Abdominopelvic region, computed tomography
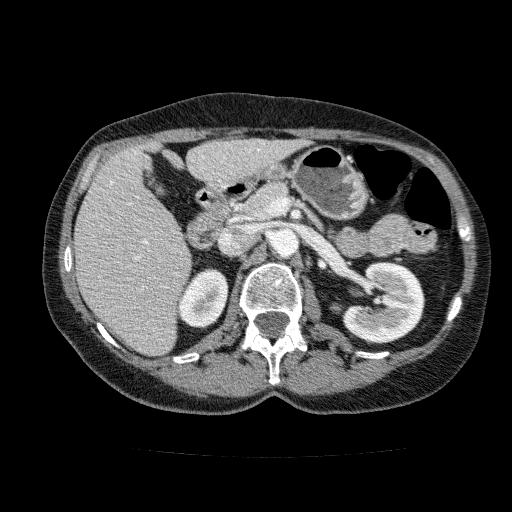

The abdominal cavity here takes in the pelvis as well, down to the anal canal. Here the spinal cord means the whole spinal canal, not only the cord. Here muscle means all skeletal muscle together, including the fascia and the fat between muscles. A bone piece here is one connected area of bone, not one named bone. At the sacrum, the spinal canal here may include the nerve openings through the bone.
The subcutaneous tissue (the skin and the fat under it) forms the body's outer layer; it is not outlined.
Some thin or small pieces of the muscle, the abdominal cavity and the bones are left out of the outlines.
spinal cord: 268,312 276,312 277,313 284,313 288,317 288,321 285,325 282,331 282,333 283,335 273,340 267,337 265,337 261,335 261,332 260,331 260,329 258,327 258,326 255,322 256,317 258,315 260,314 264,314
bones 1: 267,262 285,264 297,276 302,287 302,314 298,322 307,342 306,351 295,349 282,356 279,363 280,381 275,385 268,381 269,366 267,359 260,352 249,348 244,350 239,345 248,323 239,306 242,282 250,270 with a hole at 268,312 276,312 277,313 284,313 288,317 288,321 285,325 282,331 282,333 283,335 273,340 267,337 265,337 261,335 261,332 260,331 260,329 258,327 258,326 255,322 256,317 258,315 260,314 264,314
bones 2: 98,150 99,150 100,156 97,160 97,163 93,171 91,173 90,179 85,189 81,193 78,193 77,192 77,189 78,188 78,184 86,168 86,166 89,160 92,157 93,154 95,152 97,152
bones 3: 460,216 464,216 466,218 467,223 470,227 470,230 471,231 471,236 472,237 471,239 468,242 464,242 462,241 458,233 458,228 457,227 457,219 458,217
bones 4: 457,292 462,298 462,305 461,306 461,308 459,312 457,314 455,318 452,321 450,322 447,322 446,321 446,316 450,308 450,306 451,305 451,301 454,295
bones 5: 357,350 362,350 363,351 369,351 370,352 377,352 378,351 384,351 385,350 387,350 389,351 390,354 388,356 386,356 380,359 369,359 368,358 358,358 354,355 354,353 355,351
bones 6: 97,323 99,323 104,328 104,329 113,338 113,339 115,340 115,341 118,344 119,344 121,348 117,348 115,347 112,344 108,342 102,336 102,335 100,333 100,332 98,330 96,326
abdominal cavity: 268,131 392,145 439,182 457,217 463,272 423,344 358,349 322,321 313,281 302,273 301,284 289,265 276,261 253,267 241,284 238,270 222,323 183,353 143,358 97,322 76,283 70,226 107,157 136,143
muscle: 199,126 203,127 219,127 220,126 221,127 222,126 265,127 270,126 271,127 288,127 289,128 304,128 311,126 316,128 353,129 368,133 377,134 388,138 392,138 413,144 427,149 437,155 446,164 457,181 464,195 466,203 470,210 471,218 473,221 477,245 476,250 477,251 476,258 477,266 475,270 475,278 471,292 465,299 463,309 460,313 459,318 455,322 455,326 449,332 448,335 439,346 424,359 408,365 397,371 393,371 383,379 363,388 355,389 353,391 324,396 311,396 310,395 300,396 292,393 284,388 274,386 269,387 257,394 242,398 229,398 219,396 209,396 205,398 196,398 181,393 171,387 161,383 153,377 147,375 137,369 134,369 116,357 93,337 87,331 78,314 76,313 65,297 59,276 58,258 57,257 59,229 62,209 66,196 83,159 90,149 106,136 110,135 126,136 177,127 198,127; inner edge: 268,131 392,145 430,170 471,231 461,242 462,305 455,318 446,321 450,302 423,344 358,358 350,340 322,321 314,283 302,273 298,322 307,350 286,352 280,381 272,385 267,359 239,345 248,320 239,306 238,270 222,323 186,350 197,352 197,361 146,359 108,342 74,267 67,272 63,261 78,184 93,154 100,154 93,175 107,157 136,143
torso: 225,91 305,97 363,109 419,132 452,161 484,216 491,277 478,342 441,389 407,405 353,414 309,413 276,396 227,415 166,411 132,400 108,385 56,328 43,292 44,226 54,193 82,144 110,122 180,99